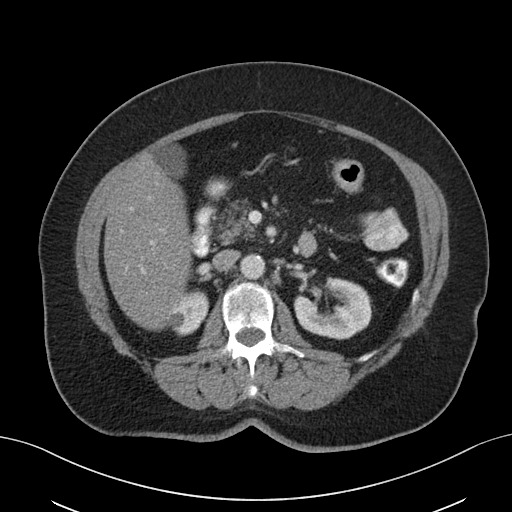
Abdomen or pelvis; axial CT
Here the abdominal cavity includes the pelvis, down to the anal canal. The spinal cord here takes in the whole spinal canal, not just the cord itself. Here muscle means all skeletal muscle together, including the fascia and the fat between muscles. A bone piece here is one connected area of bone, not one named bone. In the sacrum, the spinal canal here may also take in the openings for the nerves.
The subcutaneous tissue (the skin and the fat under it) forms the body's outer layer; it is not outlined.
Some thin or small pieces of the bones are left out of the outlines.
The bones appear in 3 outlined pieces: piece 1: [[242,282],[257,283],[271,293],[274,302],[272,336],[276,341],[303,352],[303,357],[291,352],[276,352],[270,356],[262,354],[255,362],[251,378],[249,365],[244,358],[237,363],[225,354],[212,355],[227,342],[229,335],[221,311],[223,295],[229,288]] with a hole at [[243,328],[255,328],[256,329],[259,329],[261,331],[262,331],[262,332],[263,333],[263,338],[262,339],[259,340],[253,345],[251,345],[250,346],[249,346],[248,345],[246,345],[245,344],[240,342],[237,339],[237,337],[236,336],[237,335],[237,334]]; piece 2: [[375,349],[376,350],[376,352],[371,357],[370,357],[367,360],[366,360],[365,361],[363,361],[362,362],[357,362],[356,361],[356,359],[358,357],[361,356],[363,354],[364,354],[365,353],[367,353],[368,352],[369,352],[372,350],[374,350]]; piece 3: [[250,384],[253,384],[254,385],[255,385],[257,387],[257,392],[256,393],[256,394],[253,397],[250,397],[249,396],[248,396],[248,395],[247,394],[247,393],[246,392],[246,391],[245,390],[245,389],[246,388],[247,388],[248,387],[248,386]]. The torso is outlined by [[247,61],[313,64],[392,90],[434,122],[471,177],[489,243],[478,338],[450,403],[414,432],[367,447],[324,453],[293,449],[254,426],[209,442],[116,437],[78,419],[55,387],[44,343],[38,237],[61,173],[94,127],[134,95],[188,72]]. The spinal cord is outlined by [[243,328],[255,328],[256,329],[259,329],[261,331],[262,331],[262,332],[263,333],[263,338],[262,339],[259,340],[253,345],[251,345],[250,346],[249,346],[248,345],[246,345],[245,344],[240,342],[237,339],[237,337],[236,336],[237,335],[237,334]]. The muscle is outlined by [[260,108],[302,112],[334,120],[377,138],[418,163],[438,185],[446,201],[448,211],[448,236],[450,250],[448,273],[444,284],[433,305],[432,311],[425,319],[424,326],[405,340],[400,351],[392,359],[382,367],[368,374],[337,403],[330,403],[324,407],[308,411],[294,409],[292,407],[289,409],[281,410],[258,402],[244,402],[240,405],[227,410],[219,410],[214,407],[209,407],[203,410],[192,409],[173,400],[159,388],[154,381],[140,368],[140,366],[137,363],[131,358],[118,353],[113,347],[110,339],[91,320],[86,309],[83,297],[77,286],[74,250],[78,224],[83,209],[93,189],[100,179],[119,162],[131,156],[158,138],[186,125],[211,116],[228,112],[246,111]] with holes at [[259,113],[371,144],[411,188],[423,263],[419,299],[365,361],[312,347],[277,294],[272,336],[304,356],[262,354],[253,378],[244,358],[237,363],[212,355],[229,335],[220,298],[196,350],[181,355],[140,351],[110,316],[101,231],[130,168],[155,148]] and at [[250,384],[253,384],[254,385],[255,385],[257,387],[257,392],[256,393],[256,394],[253,397],[250,397],[249,396],[248,396],[248,395],[247,394],[247,393],[246,392],[246,391],[245,390],[245,389],[246,388],[247,388],[248,387],[248,386]]. The abdominal cavity is outlined by [[259,113],[366,142],[397,165],[413,193],[423,263],[407,311],[378,347],[345,357],[312,347],[277,294],[273,298],[265,286],[242,281],[216,302],[195,351],[163,357],[140,351],[114,324],[100,272],[101,231],[116,190],[147,152]].